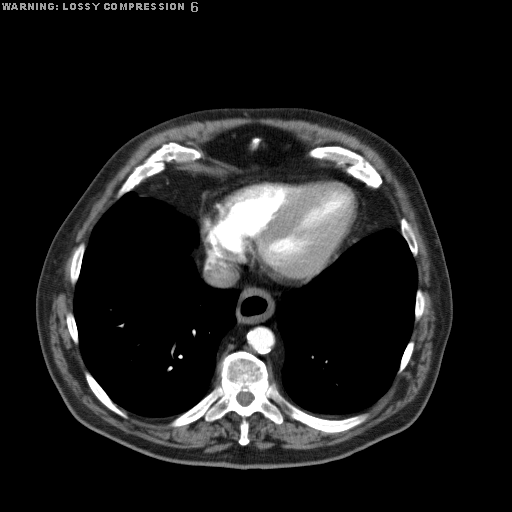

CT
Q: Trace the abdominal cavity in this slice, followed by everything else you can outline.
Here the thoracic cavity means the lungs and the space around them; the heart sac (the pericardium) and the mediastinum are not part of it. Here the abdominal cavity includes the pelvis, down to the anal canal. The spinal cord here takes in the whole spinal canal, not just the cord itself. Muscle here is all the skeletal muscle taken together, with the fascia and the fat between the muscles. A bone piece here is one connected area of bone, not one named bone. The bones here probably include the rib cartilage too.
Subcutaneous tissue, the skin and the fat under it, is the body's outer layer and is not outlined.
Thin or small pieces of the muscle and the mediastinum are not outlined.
A: abdominal cavity: [[245,125],[267,126],[287,131],[291,133],[299,143],[299,146],[301,149],[300,155],[302,156],[294,157],[280,164],[278,164],[274,167],[270,167],[264,169],[240,168],[238,166],[224,162],[216,158],[205,148],[210,141],[215,136],[223,132]]
mediastinum 1: [[200,239],[207,263],[243,266],[262,282],[298,287],[283,291],[275,309],[284,347],[284,359],[279,372],[270,371],[261,358],[242,349],[232,351],[217,361],[217,351],[223,337],[237,322],[235,310],[240,292],[237,288],[213,287],[200,277],[192,256]]
mediastinum 2: [[208,152],[216,159],[239,168],[232,169],[227,173],[221,175],[217,183],[203,192],[197,216],[198,225],[191,217],[180,213],[171,205],[154,197],[140,196],[133,189],[147,178],[162,172],[166,168],[168,163],[190,163],[200,159],[205,159],[208,157]]
mediastinum 3: [[299,157],[329,161],[366,186],[383,191],[393,206],[398,221],[397,227],[385,227],[376,230],[356,241],[360,235],[360,232],[362,231],[362,222],[364,219],[366,202],[360,191],[348,181],[327,173],[276,173],[268,170],[253,170],[243,169],[264,170],[265,169],[274,168]]
spinal cord: [[240,392],[249,392],[250,393],[251,393],[251,394],[253,396],[253,399],[247,405],[242,405],[237,400],[237,399],[236,398],[236,397],[237,396],[237,395]]
muscle: [[236,117],[305,120],[355,136],[379,154],[403,187],[425,242],[430,260],[426,289],[435,315],[426,378],[415,397],[397,412],[336,444],[294,449],[278,443],[259,449],[249,444],[248,418],[259,412],[280,425],[285,414],[328,434],[360,425],[369,416],[362,412],[407,366],[415,347],[410,339],[414,322],[421,318],[426,303],[418,288],[418,243],[411,224],[404,216],[398,220],[390,198],[379,188],[383,177],[376,168],[362,154],[338,144],[314,146],[304,157],[291,132],[261,124],[240,125],[215,135],[204,147],[205,158],[201,149],[165,142],[127,175],[115,193],[116,200],[91,230],[87,244],[80,242],[71,256],[69,280],[75,285],[72,311],[65,314],[65,322],[73,343],[79,346],[87,369],[83,375],[95,397],[124,419],[128,414],[120,408],[145,418],[174,417],[169,422],[173,428],[201,418],[213,422],[234,412],[241,418],[237,443],[204,452],[202,448],[172,447],[127,433],[82,403],[53,359],[48,326],[53,296],[63,289],[62,269],[76,244],[77,232],[109,181],[151,135],[192,121]]
thoracic cavity 1: [[132,190],[140,197],[159,200],[191,218],[198,226],[199,240],[191,256],[199,277],[213,288],[239,292],[234,310],[236,322],[222,337],[216,351],[218,383],[197,403],[176,416],[145,417],[117,405],[88,370],[79,345],[73,304],[86,247],[104,213]]
thoracic cavity 2: [[398,224],[400,233],[414,258],[417,288],[412,330],[396,374],[388,389],[359,413],[342,418],[324,418],[309,413],[287,399],[277,384],[270,379],[270,372],[279,373],[285,359],[284,342],[276,315],[282,293],[309,283],[364,237],[385,228],[396,229]]
bones 1: [[239,350],[261,359],[280,393],[303,411],[324,419],[360,413],[367,418],[347,430],[328,433],[285,413],[282,423],[276,424],[256,411],[247,418],[247,445],[238,443],[242,418],[234,411],[213,421],[201,417],[171,426],[175,417],[219,383],[218,362]] with a hole at [[240,392],[249,392],[250,393],[251,393],[251,394],[253,396],[253,399],[247,405],[242,405],[237,400],[237,399],[236,398],[236,397],[237,396],[237,395]]
bones 2: [[169,142],[176,142],[184,146],[201,150],[204,154],[203,157],[190,162],[177,162],[174,160],[168,162],[162,171],[147,177],[131,190],[126,192],[117,199],[115,196],[118,189],[133,169],[136,166],[141,164],[152,152],[159,148],[163,144]]
bones 3: [[326,145],[338,145],[352,150],[362,155],[364,158],[375,168],[382,177],[382,183],[381,185],[378,188],[372,188],[366,185],[360,180],[345,172],[341,167],[337,166],[333,161],[309,157],[307,155],[307,152],[310,149],[317,146],[325,146]]
bones 4: [[86,371],[88,371],[91,374],[94,379],[103,389],[103,390],[107,394],[110,399],[117,406],[118,406],[118,407],[120,409],[121,409],[127,414],[127,418],[124,418],[109,409],[96,397],[96,396],[89,387],[86,381],[86,379],[84,375],[84,373]]
bones 5: [[82,242],[83,242],[86,246],[85,247],[85,249],[83,253],[83,256],[82,257],[82,260],[81,261],[81,266],[80,267],[80,270],[79,271],[79,275],[78,276],[78,278],[75,284],[72,284],[70,280],[70,266],[71,265],[71,259],[77,246]]
bones 6: [[402,217],[404,217],[410,224],[413,230],[413,232],[414,233],[414,235],[416,239],[416,242],[417,243],[417,255],[414,257],[409,248],[409,246],[406,240],[404,238],[404,237],[401,233],[401,230],[400,229],[400,224],[399,223],[399,221]]
bones 7: [[68,312],[72,312],[73,314],[73,316],[74,317],[74,319],[75,320],[75,324],[77,328],[77,335],[78,336],[78,344],[75,344],[74,343],[70,335],[70,333],[68,330],[68,328],[67,327],[67,323],[66,322],[66,314]]
bones 8: [[410,340],[412,340],[414,342],[414,347],[413,348],[413,351],[412,352],[412,354],[406,366],[403,369],[403,370],[400,373],[397,373],[398,371],[398,369],[399,368],[399,366],[400,365],[400,361],[401,360],[402,355],[404,352],[404,350],[407,344]]
bones 9: [[417,289],[420,289],[422,291],[422,292],[423,293],[423,295],[424,296],[424,300],[425,301],[425,303],[424,304],[424,308],[423,309],[423,312],[422,313],[422,314],[421,315],[420,318],[417,321],[415,321],[415,302],[416,301],[416,293],[417,292]]
torso: [[272,106],[316,109],[360,124],[391,143],[415,172],[442,245],[453,301],[452,326],[434,388],[409,427],[347,457],[321,464],[237,469],[173,463],[145,455],[80,423],[48,373],[35,319],[36,289],[46,253],[63,220],[103,164],[136,134],[195,110]]
pericardium: [[238,169],[268,171],[276,174],[327,174],[348,182],[359,191],[365,202],[361,231],[357,239],[331,264],[309,282],[301,286],[286,286],[262,281],[252,275],[243,265],[226,265],[207,262],[200,238],[198,221],[202,196],[206,190],[220,181],[221,176]]